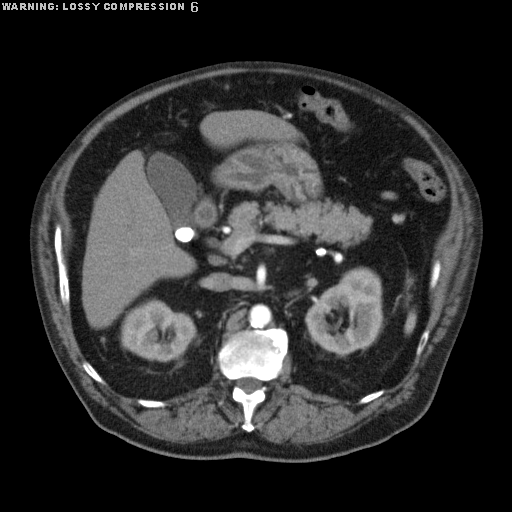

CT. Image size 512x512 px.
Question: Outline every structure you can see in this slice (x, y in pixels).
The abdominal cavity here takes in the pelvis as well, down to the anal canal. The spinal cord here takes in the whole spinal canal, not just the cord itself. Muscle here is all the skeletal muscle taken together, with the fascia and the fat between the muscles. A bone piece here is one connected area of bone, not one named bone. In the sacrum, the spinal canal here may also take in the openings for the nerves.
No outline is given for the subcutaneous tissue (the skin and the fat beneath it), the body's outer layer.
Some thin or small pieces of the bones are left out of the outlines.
Answer: {"spinal_cord":[[[246,377],[251,377],[252,378],[255,378],[256,379],[261,381],[262,382],[262,384],[261,385],[261,386],[259,388],[254,390],[252,392],[251,392],[250,393],[247,393],[246,392],[245,392],[236,384],[236,381],[238,379],[240,379],[241,378],[245,378]]],"muscle":[[[227,67],[281,67],[312,72],[358,86],[397,105],[426,129],[456,165],[474,211],[475,243],[462,300],[445,335],[419,370],[412,394],[406,402],[383,411],[356,430],[326,442],[274,443],[253,431],[255,409],[266,399],[268,383],[282,372],[288,351],[292,384],[315,394],[357,400],[358,405],[363,405],[402,379],[415,356],[423,352],[430,335],[426,328],[431,309],[429,295],[437,285],[442,267],[437,258],[432,264],[432,254],[438,235],[448,226],[452,190],[432,148],[395,111],[355,91],[303,75],[272,71],[214,75],[160,93],[118,116],[95,136],[71,169],[63,199],[73,229],[68,275],[61,224],[54,227],[53,249],[59,299],[69,308],[73,334],[85,359],[81,362],[82,368],[96,382],[106,383],[119,394],[135,398],[145,408],[164,408],[168,404],[165,400],[206,385],[217,362],[230,383],[231,398],[242,407],[240,427],[244,431],[215,440],[172,442],[137,429],[91,398],[58,335],[43,288],[36,248],[38,218],[53,177],[80,145],[82,137],[107,113],[134,96],[185,77]]],"torso":[[[255,59],[306,64],[355,77],[397,98],[435,128],[467,169],[481,200],[483,241],[474,288],[430,407],[418,421],[388,440],[346,455],[302,463],[165,456],[96,425],[65,377],[47,339],[34,292],[30,214],[51,165],[110,103],[175,73],[216,62]]],"bones":[{"outer":[[274,327],[282,328],[286,332],[288,350],[282,361],[281,372],[276,378],[267,383],[266,397],[254,409],[251,418],[254,429],[248,432],[241,427],[244,422],[243,407],[232,398],[231,383],[219,368],[217,354],[226,340],[238,331],[246,329],[265,330]],"hole":[[246,377],[251,377],[252,378],[255,378],[256,379],[261,381],[262,382],[262,384],[261,385],[261,386],[259,388],[254,390],[252,392],[251,392],[250,393],[247,393],[246,392],[245,392],[236,384],[236,381],[238,379],[240,379],[241,378],[245,378]]},[[57,224],[60,224],[60,227],[61,228],[62,253],[63,254],[64,262],[67,269],[67,275],[68,276],[68,283],[69,284],[69,307],[68,308],[66,308],[62,304],[60,299],[60,294],[59,293],[58,266],[56,261],[56,254],[54,249],[54,231]],[[437,259],[440,261],[440,264],[441,265],[441,267],[440,268],[440,272],[439,273],[439,277],[438,278],[438,280],[436,283],[435,287],[432,289],[430,289],[429,288],[429,282],[430,281],[430,277],[431,276],[432,266],[433,265],[434,261]],[[84,360],[86,360],[94,368],[94,369],[97,372],[97,373],[103,379],[103,380],[105,382],[105,383],[104,384],[103,384],[102,383],[100,383],[99,382],[96,381],[93,378],[92,378],[85,371],[85,370],[83,368],[83,367],[82,366],[82,362]],[[139,398],[141,398],[142,399],[148,399],[149,400],[157,400],[158,401],[163,401],[164,402],[165,402],[167,404],[164,407],[145,407],[144,406],[143,406],[142,405],[141,405],[139,403],[138,403],[137,402],[137,399],[138,399]],[[427,328],[429,330],[429,335],[428,336],[428,339],[425,344],[425,346],[424,347],[424,348],[423,349],[422,352],[419,355],[416,355],[416,350],[417,349],[417,346],[418,345],[418,343],[420,340],[420,337],[421,336],[422,333],[424,331],[424,330]],[[380,389],[384,389],[384,392],[378,397],[373,399],[371,401],[369,401],[368,402],[367,402],[366,403],[364,403],[363,404],[358,404],[357,403],[357,401],[362,397],[363,397],[364,396],[365,396],[372,392],[374,392],[375,391],[377,391]]],"abdominal_cavity":[[[244,72],[303,76],[360,94],[409,124],[445,171],[451,210],[431,254],[428,319],[411,364],[391,386],[345,400],[292,383],[288,334],[277,326],[232,333],[206,384],[164,400],[119,393],[80,349],[70,313],[74,229],[64,203],[74,165],[138,105]]]}